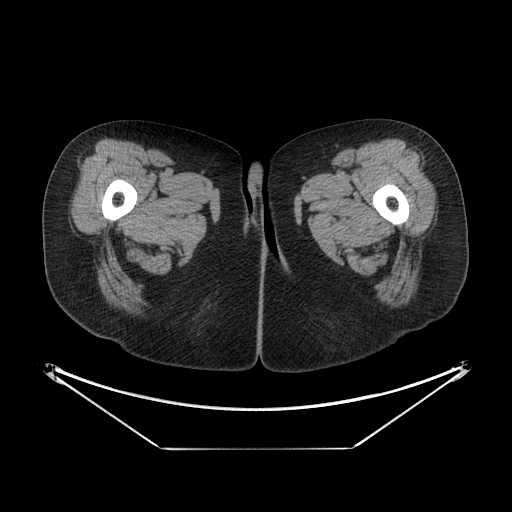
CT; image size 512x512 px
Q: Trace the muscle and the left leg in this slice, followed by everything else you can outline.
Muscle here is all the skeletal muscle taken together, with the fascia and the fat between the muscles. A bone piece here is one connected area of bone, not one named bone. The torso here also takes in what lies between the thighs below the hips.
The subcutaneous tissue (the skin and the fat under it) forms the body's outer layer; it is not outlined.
A: Outlines:
muscle 1: 103 137; 130 140; 157 148; 209 178; 219 190; 217 220; 195 248; 190 260; 165 276; 149 277; 149 297; 159 311; 151 323; 121 315; 108 305; 101 293; 94 267; 98 248; 75 236; 69 223; 68 206; 78 179; 79 158; 86 148 with a hole at 116 178; 120 178; 121 179; 126 180; 135 188; 137 192; 137 201; 136 202; 136 204; 130 212; 123 217; 115 221; 111 221; 105 218; 103 216; 102 210; 101 209; 101 200; 102 199; 102 196; 104 194; 106 190; 106 188; 110 182
muscle 2: 388 137; 407 140; 423 153; 423 170; 435 187; 438 210; 436 223; 424 238; 422 245; 417 293; 407 305; 397 308; 378 303; 373 297; 372 285; 368 278; 338 265; 329 258; 301 227; 294 212; 295 196; 302 184; 319 173; 339 151 with a hole at 388 183; 391 183; 392 184; 396 185; 405 194; 406 197; 408 199; 408 203; 409 204; 409 215; 408 216; 407 220; 400 225; 394 225; 384 218; 383 218; 372 205; 372 195; 374 193; 374 192; 381 186; 385 184; 387 184
left leg: 377 117; 401 120; 425 130; 439 142; 451 159; 461 184; 467 217; 469 264; 465 283; 456 303; 445 316; 408 333; 377 353; 309 372; 270 371; 260 360; 264 260; 269 245; 276 252; 265 190; 269 161; 282 145; 302 133; 340 122
bones 1: 116 178; 120 178; 121 179; 126 180; 135 188; 137 192; 137 201; 136 202; 136 204; 130 212; 123 217; 115 221; 111 221; 105 218; 103 216; 102 210; 101 209; 101 200; 102 199; 102 196; 104 194; 106 190; 106 188; 110 182
bones 2: 388 183; 391 183; 392 184; 396 185; 405 194; 406 197; 408 199; 408 203; 409 204; 409 215; 408 216; 407 220; 400 225; 394 225; 384 218; 383 218; 372 205; 372 195; 374 193; 374 192; 381 186; 385 184; 387 184
right leg: 117 119; 142 119; 191 129; 229 144; 240 154; 244 165; 242 187; 251 228; 263 252; 259 360; 251 369; 236 372; 196 370; 138 358; 115 342; 83 329; 55 302; 44 272; 41 226; 43 197; 50 172; 60 152; 74 136; 91 126
torso: 255 159; 260 160; 264 166; 264 176; 263 177; 264 230; 266 235; 266 240; 268 244; 267 251; 264 257; 264 259; 263 244; 252 228; 252 222; 250 215; 251 196; 248 191; 247 182; 246 181; 247 178; 247 168; 250 162